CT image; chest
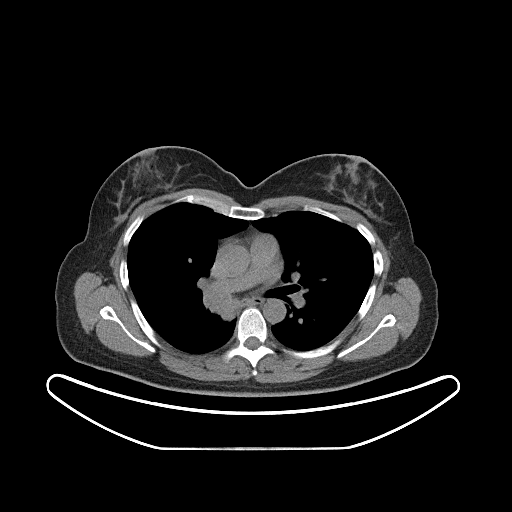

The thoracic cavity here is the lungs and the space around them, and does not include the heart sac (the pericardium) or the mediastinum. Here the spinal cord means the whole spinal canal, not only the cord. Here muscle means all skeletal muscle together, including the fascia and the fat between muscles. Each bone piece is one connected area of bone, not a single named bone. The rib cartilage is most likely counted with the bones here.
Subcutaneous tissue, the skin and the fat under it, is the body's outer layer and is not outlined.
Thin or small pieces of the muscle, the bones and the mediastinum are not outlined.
Outlines:
mediastinum 1: 215 258; 215 263; 214 264; 214 272; 221 285; 229 292; 240 298; 254 298; 277 282; 277 290; 280 298; 286 304; 286 314; 283 320; 273 324; 269 329; 261 311; 254 306; 246 307; 243 309; 237 319; 236 310; 219 290; 210 274; 210 270; 211 269; 211 268; 215 261
mediastinum 2: 248 221; 251 221; 251 223; 252 224; 252 225; 255 228; 256 228; 259 231; 260 231; 258 231; 257 230; 250 230; 249 229; 246 229; 245 230; 243 230; 244 230; 247 227; 247 226; 248 225
mediastinum 3: 228 236; 230 236; 229 237; 228 237; 226 239; 225 239; 223 241; 222 241; 221 242; 221 243; 219 245; 219 246; 218 247; 218 248; 217 249; 217 251; 217 245; 218 244; 218 239; 219 239; 220 238; 224 238; 225 237; 227 237
spinal cord: 249 337; 255 337; 256 338; 257 338; 258 339; 258 340; 260 342; 260 344; 257 347; 256 347; 255 348; 254 348; 253 349; 252 349; 251 348; 249 348; 248 347; 247 347; 245 345; 245 341
torso: 169 145; 203 152; 247 186; 317 154; 357 155; 371 162; 399 193; 415 244; 427 257; 437 284; 438 322; 426 354; 408 368; 355 386; 272 397; 162 389; 72 359; 56 331; 54 292; 60 264; 84 238; 91 203; 107 176; 133 154
thoracic cavity 1: 180 202; 202 205; 225 216; 247 221; 244 229; 217 239; 215 257; 209 274; 218 290; 235 310; 236 323; 231 337; 225 344; 204 353; 189 353; 183 351; 174 347; 156 333; 135 299; 130 287; 128 275; 128 246; 142 222; 162 208
thoracic cavity 2: 292 210; 313 212; 355 228; 369 244; 373 261; 371 283; 355 315; 330 342; 306 350; 286 347; 274 338; 270 330; 273 325; 283 321; 287 314; 287 304; 281 298; 277 284; 284 271; 284 259; 275 236; 259 230; 252 223; 254 220
muscle: 187 188; 214 190; 232 197; 239 204; 188 193; 145 218; 143 214; 137 215; 126 228; 122 240; 127 247; 126 258; 120 259; 118 267; 120 283; 125 291; 130 288; 134 297; 129 299; 132 313; 156 347; 162 347; 156 334; 189 354; 208 353; 227 343; 222 360; 227 363; 240 356; 249 362; 251 374; 255 376; 259 360; 276 353; 274 340; 284 346; 281 348; 283 353; 295 358; 324 356; 341 343; 340 337; 335 338; 356 314; 359 321; 366 315; 377 288; 373 277; 379 277; 384 268; 381 251; 372 251; 376 243; 374 235; 362 222; 353 227; 333 212; 308 203; 304 203; 302 209; 266 216; 262 208; 252 205; 262 199; 286 195; 349 207; 372 225; 389 251; 387 280; 394 282; 401 277; 410 277; 420 289; 422 299; 414 329; 402 344; 380 356; 345 362; 302 380; 277 383; 261 383; 252 378; 199 380; 171 371; 145 357; 107 348; 86 333; 80 323; 73 294; 75 281; 86 271; 100 272; 112 279; 109 260; 133 211; 149 199 with holes at 106 305; 110 306; 113 309; 118 318; 133 336; 141 341; 146 342; 152 345; 155 348; 155 352; 151 352; 145 347; 134 341; 127 335; 127 334; 122 329; 121 326; 116 321; 111 319; 105 319; 103 318; 101 316; 99 311; 102 307 and at 387 314; 392 314; 395 317; 395 323; 392 326; 384 326; 383 327; 381 327; 364 343; 358 346; 353 350; 346 353; 341 357; 337 358; 337 355; 338 353; 339 353; 342 350; 344 350; 348 348; 355 343; 365 338; 377 326; 384 316
bones 1: 250 307; 254 307; 260 311; 275 343; 273 347; 275 353; 265 354; 258 360; 256 364; 257 373; 255 375; 252 374; 253 368; 246 358; 240 355; 235 355; 227 362; 222 358; 223 352; 230 345; 228 342; 234 333; 240 314; 243 310; inner edge: 249 337; 255 337; 256 338; 257 338; 258 339; 258 340; 260 342; 260 344; 257 347; 256 347; 255 348; 254 348; 253 349; 252 349; 251 348; 249 348; 248 347; 247 347; 245 345; 245 341
bones 2: 188 194; 201 195; 202 196; 215 198; 225 202; 228 205; 241 205; 242 206; 258 207; 265 212; 265 216; 258 219; 246 220; 241 218; 236 218; 225 215; 215 211; 208 206; 202 204; 191 203; 186 201; 180 201; 169 204; 174 200
bones 3: 337 338; 340 338; 341 339; 341 341; 332 351; 324 355; 321 355; 320 356; 317 356; 312 358; 299 358; 298 357; 292 356; 282 351; 282 348; 284 347; 285 348; 295 350; 296 351; 312 350; 321 346; 326 345; 332 342
bones 4: 106 305; 110 306; 113 309; 118 318; 133 336; 141 341; 146 342; 152 345; 155 348; 155 352; 151 352; 145 347; 134 341; 127 335; 127 334; 122 329; 121 326; 116 321; 111 319; 105 319; 103 318; 101 316; 99 311; 102 307
bones 5: 131 298; 133 298; 135 300; 143 316; 155 332; 155 335; 156 336; 156 338; 161 344; 161 347; 156 346; 154 344; 153 344; 153 343; 142 330; 141 327; 139 325; 133 313; 133 311; 132 310; 132 308; 130 304; 130 299
bones 6: 387 314; 392 314; 395 317; 395 323; 392 326; 384 326; 383 327; 381 327; 364 343; 358 346; 353 350; 346 353; 341 357; 337 358; 337 355; 338 353; 339 353; 342 350; 344 350; 348 348; 355 343; 365 338; 377 326; 384 316
bones 7: 372 283; 375 283; 376 285; 376 288; 375 289; 375 293; 374 294; 374 297; 373 298; 373 300; 371 303; 371 305; 370 307; 366 312; 365 315; 360 320; 359 320; 358 319; 357 312; 367 293; 367 291; 370 285
bones 8: 139 215; 143 215; 144 216; 144 219; 141 222; 141 223; 139 225; 137 229; 132 235; 128 243; 128 245; 127 246; 124 246; 123 244; 123 240; 124 239; 124 235; 125 234; 125 232; 127 228; 134 220; 134 219; 137 216
bones 9: 304 204; 308 204; 309 205; 318 206; 320 208; 326 211; 333 213; 339 218; 340 218; 342 221; 338 221; 337 220; 335 220; 330 217; 328 217; 325 215; 323 215; 322 214; 320 214; 313 211; 303 210; 303 208; 302 207
bones 10: 123 258; 124 259; 126 259; 126 263; 127 264; 127 275; 128 276; 128 280; 129 281; 129 286; 126 290; 125 290; 122 286; 122 284; 121 283; 121 280; 120 279; 120 275; 119 274; 119 267; 120 266; 120 262; 121 261; 121 259
bones 11: 375 250; 379 250; 380 251; 380 252; 381 253; 381 255; 382 256; 382 259; 383 260; 383 268; 382 269; 382 271; 381 272; 381 274; 379 276; 378 276; 377 275; 375 275; 374 274; 374 261; 373 260; 373 252
bones 12: 359 222; 360 223; 362 223; 371 232; 371 233; 373 235; 373 236; 374 237; 374 239; 375 240; 375 243; 374 244; 374 245; 371 246; 370 245; 370 244; 368 242; 368 241; 359 232; 359 231; 355 227; 356 224
pericardium: 246 230; 269 233; 273 235; 278 243; 279 250; 283 261; 283 265; 279 276; 279 279; 274 284; 267 288; 263 292; 254 297; 240 297; 232 293; 222 285; 219 278; 215 272; 216 256; 217 255; 218 249; 222 242; 231 236